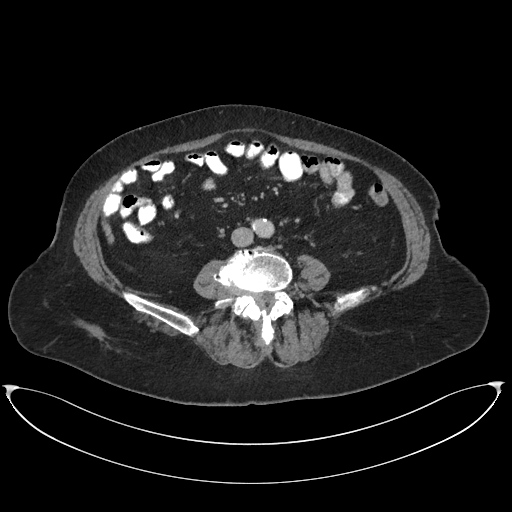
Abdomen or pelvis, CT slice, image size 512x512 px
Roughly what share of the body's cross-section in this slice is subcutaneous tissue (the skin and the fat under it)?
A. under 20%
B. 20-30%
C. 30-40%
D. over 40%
D. over 40%
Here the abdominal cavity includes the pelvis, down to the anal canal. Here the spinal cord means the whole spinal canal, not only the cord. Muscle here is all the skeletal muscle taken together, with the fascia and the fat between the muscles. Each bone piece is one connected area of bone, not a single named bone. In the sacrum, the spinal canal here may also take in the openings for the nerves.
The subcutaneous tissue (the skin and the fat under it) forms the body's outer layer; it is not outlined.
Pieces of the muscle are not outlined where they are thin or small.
{"bones":[{"outer":[[257,246],[280,254],[293,269],[293,278],[285,289],[293,301],[293,309],[289,314],[283,314],[272,321],[274,337],[268,345],[260,336],[260,320],[235,315],[229,305],[217,308],[214,306],[218,299],[237,294],[214,279],[214,275],[235,251],[250,250]],"hole":[[264,292],[269,292],[270,293],[271,293],[273,296],[273,301],[272,302],[272,303],[269,303],[268,304],[266,304],[265,305],[264,305],[262,307],[261,307],[261,306],[260,305],[259,305],[259,304],[256,301],[256,296],[259,293],[263,293]]},[[122,291],[128,291],[134,293],[166,308],[169,308],[174,311],[189,316],[199,328],[199,332],[193,336],[188,336],[180,332],[168,324],[153,317],[151,315],[147,314],[144,312],[138,311],[130,305],[122,297],[121,295]],[[373,285],[376,286],[377,288],[375,290],[370,290],[369,291],[369,294],[362,301],[356,305],[341,311],[333,311],[332,307],[335,300],[338,296],[342,295],[345,293],[350,292],[351,291],[356,291],[361,288],[366,288],[369,290],[371,286]]],"torso":[[[229,103],[275,107],[355,131],[395,151],[421,172],[439,199],[436,226],[444,248],[486,287],[490,314],[481,338],[464,351],[365,390],[244,406],[191,405],[151,397],[24,349],[8,324],[8,295],[18,274],[50,243],[63,193],[79,166],[131,129]]],"abdominal_cavity":[[[253,132],[371,170],[400,216],[401,267],[379,283],[318,303],[314,295],[331,278],[322,261],[298,255],[295,275],[290,262],[268,247],[237,249],[196,274],[194,290],[212,302],[197,313],[150,300],[122,283],[98,236],[109,188],[152,158]]],"spinal_cord":[[[264,292],[269,292],[270,293],[271,293],[273,296],[273,301],[272,302],[272,303],[269,303],[268,304],[266,304],[265,305],[264,305],[262,307],[261,307],[261,306],[260,305],[259,305],[259,304],[256,301],[256,296],[259,293],[263,293]]],"muscle":[{"outer":[[244,127],[258,127],[284,136],[310,140],[328,146],[331,146],[339,150],[364,159],[371,164],[389,172],[392,175],[395,176],[407,188],[415,198],[421,208],[425,219],[425,222],[428,227],[430,234],[430,253],[427,263],[427,267],[424,273],[419,279],[399,290],[390,291],[385,295],[382,295],[369,302],[367,302],[348,311],[341,317],[340,319],[341,323],[326,338],[319,354],[307,361],[299,362],[288,368],[282,368],[276,366],[267,359],[263,360],[258,365],[249,369],[238,368],[230,364],[221,365],[214,362],[206,355],[203,350],[189,339],[181,336],[169,336],[167,334],[158,330],[150,329],[143,322],[138,322],[132,317],[130,310],[126,307],[124,302],[119,297],[110,292],[101,285],[97,284],[88,275],[87,272],[81,264],[79,258],[75,254],[72,245],[72,239],[76,221],[86,201],[86,199],[99,185],[103,183],[113,174],[125,167],[130,162],[134,161],[147,154],[149,154],[151,152],[162,149],[167,146],[171,146],[190,140],[202,138],[208,135],[221,132],[228,129],[243,128]],"hole":[[253,132],[371,170],[399,213],[405,259],[362,301],[333,311],[334,300],[313,298],[329,282],[330,270],[312,255],[298,255],[299,270],[285,289],[293,309],[272,321],[274,337],[266,345],[260,320],[235,315],[229,305],[214,306],[237,294],[214,279],[226,260],[213,258],[192,282],[212,302],[197,313],[152,301],[189,316],[199,332],[188,336],[122,297],[122,291],[140,294],[107,265],[99,214],[109,188],[136,165]]}]}